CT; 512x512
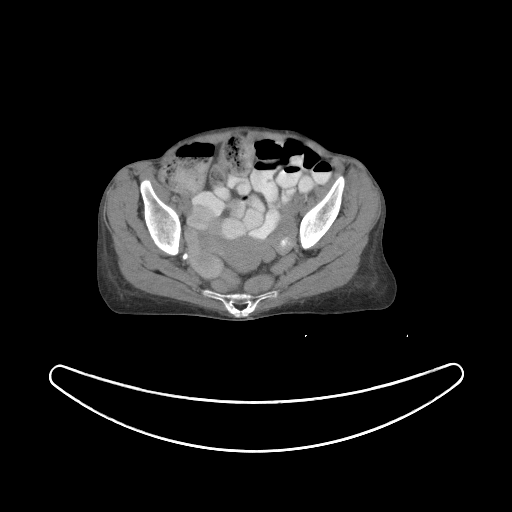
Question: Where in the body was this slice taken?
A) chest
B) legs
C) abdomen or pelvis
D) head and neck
Answer: C) abdomen or pelvis
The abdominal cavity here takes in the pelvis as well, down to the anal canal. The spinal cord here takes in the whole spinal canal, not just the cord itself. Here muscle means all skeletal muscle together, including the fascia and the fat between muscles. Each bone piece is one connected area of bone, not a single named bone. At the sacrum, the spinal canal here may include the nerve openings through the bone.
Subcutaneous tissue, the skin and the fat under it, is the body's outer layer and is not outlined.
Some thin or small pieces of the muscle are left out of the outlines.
The muscle is outlined by 233 129; 293 134; 330 154; 354 161; 366 172; 379 193; 381 213; 369 233; 358 269; 346 284; 250 314; 260 301; 278 296; 277 290; 269 290; 297 262; 300 245; 304 250; 311 248; 331 227; 341 209; 345 177; 337 176; 326 193; 301 217; 296 212; 297 201; 329 180; 334 173; 332 164; 298 138; 250 136; 245 132; 219 141; 184 144; 157 170; 157 181; 175 193; 184 206; 181 221; 178 213; 158 196; 149 179; 139 183; 143 219; 153 243; 166 254; 176 256; 181 235; 187 257; 197 274; 221 292; 204 288; 201 293; 220 301; 232 315; 146 293; 123 277; 103 221; 106 194; 117 176; 138 163; 157 162; 192 138. The torso is outlined by 244 124; 294 129; 330 150; 354 156; 365 164; 379 184; 386 204; 382 245; 397 282; 396 297; 390 306; 331 315; 283 314; 241 322; 185 315; 123 315; 107 307; 96 283; 96 238; 100 198; 112 176; 130 162; 159 156; 190 134. The spinal cord is outlined by 236 304; 237 304; 238 304; 239 304; 240 304; 241 304; 242 305; 243 305; 244 305; 244 306; 243 307; 242 307; 241 308; 240 308; 239 308; 238 307; 237 306; 236 306; 236 305. The abdominal cavity is outlined by 240 133; 250 137; 298 139; 327 160; 333 172; 321 186; 314 187; 308 196; 296 201; 295 212; 301 218; 299 256; 270 289; 259 294; 222 292; 198 274; 182 236; 185 206; 181 198; 156 177; 158 170; 182 146; 198 141; 219 142. The bones appear in 3 outlined pieces: piece 1: 145 179; 147 179; 150 181; 151 185; 157 196; 164 203; 171 207; 177 213; 179 217; 181 224; 181 234; 179 240; 178 253; 176 255; 170 255; 160 249; 154 243; 149 233; 144 219; 144 205; 140 191; 140 183; 141 181; piece 2: 340 175; 342 175; 344 177; 344 188; 342 193; 342 201; 341 202; 339 212; 330 227; 320 239; 311 247; 307 249; 304 249; 300 244; 300 239; 299 238; 299 225; 301 219; 304 214; 314 206; 327 193; 331 186; 336 180; 337 177; piece 3: 204 289; 209 289; 222 294; 250 294; 253 296; 257 296; 260 294; 275 290; 277 291; 277 296; 276 297; 264 298; 258 302; 255 309; 248 315; 242 317; 235 317; 226 309; 224 304; 220 300; 205 296; 202 293; 202 291.